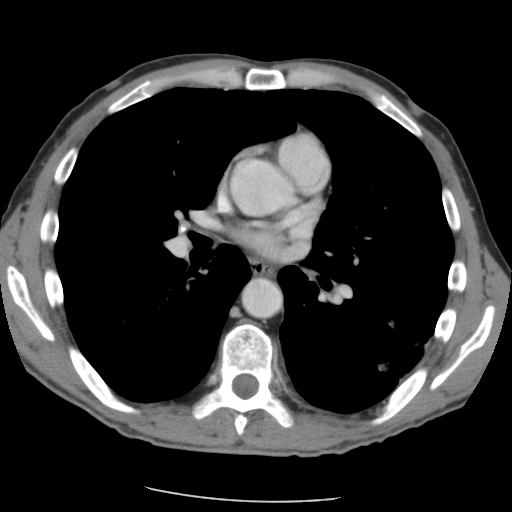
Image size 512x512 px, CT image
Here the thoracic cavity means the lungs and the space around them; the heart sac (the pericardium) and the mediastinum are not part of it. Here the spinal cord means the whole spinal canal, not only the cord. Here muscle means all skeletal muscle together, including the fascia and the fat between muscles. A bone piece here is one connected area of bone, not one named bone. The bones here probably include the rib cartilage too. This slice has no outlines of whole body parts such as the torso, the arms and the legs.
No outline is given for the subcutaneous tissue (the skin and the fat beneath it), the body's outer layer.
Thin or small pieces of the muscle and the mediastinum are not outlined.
The bones appear in 13 outlined pieces: piece 1: (243, 323) (257, 325) (273, 342) (288, 389) (287, 393) (280, 387) (273, 389) (291, 412) (290, 427) (283, 427) (261, 408) (245, 413) (241, 435) (234, 424) (237, 412) (230, 407) (219, 407) (200, 419) (192, 414) (194, 403) (210, 389) (204, 383) (219, 361) (222, 337); inner edge: (240, 374) (249, 374) (253, 376) (257, 380) (258, 382) (258, 387) (257, 388) (257, 390) (256, 392) (254, 393) (251, 396) (247, 398) (242, 398) (240, 397) (233, 391) (233, 389) (232, 388) (232, 383) (233, 382) (233, 380) (238, 375); piece 2: (214, 67) (225, 69) (234, 67) (242, 72) (252, 67) (276, 68) (283, 72) (290, 69) (311, 68) (333, 73) (347, 83) (336, 83) (324, 87) (249, 90) (244, 88) (225, 89) (222, 87) (202, 86) (191, 82) (181, 82) (108, 114) (107, 109) (113, 102) (145, 80); piece 3: (70, 345) (77, 347) (87, 361) (109, 387) (118, 396) (119, 396) (122, 400) (128, 404) (130, 404) (134, 407) (139, 409) (139, 412) (138, 413) (127, 413) (126, 412) (123, 412) (122, 411) (119, 411) (113, 409) (103, 404) (87, 387) (75, 370) (68, 353) (68, 347); piece 4: (419, 367) (426, 367) (428, 370) (428, 372) (425, 381) (418, 392) (408, 402) (408, 403) (407, 403) (393, 416) (380, 424) (377, 424) (376, 425) (372, 425) (370, 424) (369, 421) (374, 417) (377, 416) (381, 412) (380, 407) (383, 404) (382, 401) (384, 400) (399, 384); piece 5: (9, 265) (14, 266) (24, 276) (31, 301) (34, 307) (38, 312) (39, 315) (51, 330) (54, 336) (54, 340) (53, 341) (50, 341) (44, 338) (27, 314) (21, 307) (14, 302) (12, 295) (8, 288) (8, 285) (7, 284) (6, 269) (7, 268) (7, 266); piece 6: (488, 305) (494, 306) (495, 312) (494, 313) (493, 321) (489, 334) (484, 343) (480, 347) (478, 347) (471, 351) (440, 385) (435, 389) (431, 390) (430, 389) (430, 385) (433, 379) (440, 372) (447, 368) (456, 359) (459, 353) (460, 346) (474, 332) (482, 318) (485, 308); piece 7: (360, 86) (367, 86) (374, 89) (376, 91) (380, 93) (384, 94) (388, 98) (389, 98) (396, 106) (397, 106) (414, 122) (416, 123) (416, 124) (421, 130) (423, 136) (420, 139) (418, 138) (398, 122) (378, 109) (366, 98) (366, 96) (364, 92) (360, 88); piece 8: (46, 268) (55, 268) (57, 270) (57, 272) (58, 273) (58, 275) (61, 282) (62, 291) (63, 292) (63, 305) (60, 307) (59, 306) (56, 306) (52, 308) (49, 304) (49, 302) (47, 298) (47, 295) (46, 294) (46, 291) (45, 290) (45, 285) (44, 284) (44, 272); piece 9: (446, 306) (450, 306) (451, 307) (453, 307) (456, 310) (456, 319) (455, 320) (455, 324) (454, 325) (453, 330) (451, 333) (451, 335) (449, 339) (445, 343) (444, 343) (440, 340) (433, 338) (433, 334) (434, 333) (434, 330) (436, 326) (437, 320) (442, 310) (444, 307); piece 10: (442, 186) (446, 186) (451, 191) (453, 195) (457, 209) (458, 210) (459, 219) (460, 220) (460, 228) (455, 232) (452, 232) (447, 222) (447, 219) (446, 218) (446, 215) (445, 214) (445, 211) (443, 206) (443, 202) (442, 201) (442, 196) (441, 195) (441, 189) (442, 188); piece 11: (48, 209) (55, 209) (57, 210) (57, 212) (58, 213) (58, 231) (57, 232) (57, 237) (56, 238) (56, 241) (54, 244) (51, 244) (49, 242) (43, 242) (41, 240) (41, 238) (40, 237) (40, 227) (41, 226) (41, 222) (42, 221) (42, 219) (45, 212); piece 12: (454, 258) (462, 260) (464, 262) (465, 264) (465, 267) (466, 268) (466, 282) (465, 283) (465, 286) (464, 287) (464, 289) (461, 292) (459, 292) (458, 291) (449, 291) (447, 288) (447, 282) (448, 281) (448, 274) (449, 273) (449, 269) (450, 268) (450, 265); piece 13: (73, 146) (75, 146) (79, 149) (77, 157) (75, 160) (74, 165) (70, 172) (70, 174) (67, 178) (66, 181) (64, 183) (64, 184) (62, 185) (59, 185) (54, 181) (54, 174) (55, 173) (56, 168) (58, 164) (60, 162) (61, 159) (64, 156) (67, 151). The spinal cord is outlined by (240, 374) (249, 374) (253, 376) (257, 380) (258, 382) (258, 387) (257, 388) (257, 390) (256, 392) (254, 393) (251, 396) (247, 398) (242, 398) (240, 397) (233, 391) (233, 389) (232, 388) (232, 383) (233, 382) (233, 380) (238, 375). The pericardium is outlined by (298, 127) (313, 132) (323, 144) (331, 164) (329, 191) (326, 196) (325, 207) (315, 226) (311, 243) (305, 254) (294, 262) (276, 265) (255, 257) (232, 241) (227, 235) (219, 231) (214, 221) (212, 205) (224, 173) (232, 160) (242, 150) (256, 144) (276, 140) (291, 134). The mediastinum is outlined by (216, 190) (211, 205) (216, 229) (255, 258) (276, 266) (291, 264) (306, 254) (312, 241) (301, 268) (288, 265) (277, 274) (284, 296) (278, 343) (251, 322) (237, 324) (221, 337) (229, 310) (250, 280) (251, 271) (237, 247) (216, 244) (198, 230) (206, 223) (204, 210). The thoracic cavity is outlined by (176, 86) (351, 93) (430, 154) (454, 248) (445, 304) (380, 402) (314, 407) (276, 360) (278, 274) (302, 268) (332, 193) (326, 146) (297, 120) (236, 153) (203, 210) (197, 230) (250, 271) (205, 378) (176, 398) (132, 401) (78, 347) (56, 263) (64, 185) (108, 115). The muscle is outlined by (211, 58) (240, 59) (263, 67) (269, 67) (278, 63) (284, 63) (290, 61) (308, 61) (330, 64) (347, 69) (385, 88) (410, 112) (411, 115) (420, 124) (436, 136) (445, 146) (450, 154) (454, 168) (460, 180) (462, 188) (469, 200) (469, 203) (474, 208) (472, 215) (477, 228) (479, 240) (482, 244) (486, 246) (488, 251) (499, 264) (506, 275) (511, 279) (508, 288) (509, 289) (505, 313) (497, 341) (489, 361) (472, 392) (458, 399) (451, 401) (442, 407) (422, 417) (415, 419) (413, 421) (404, 423) (387, 432) (365, 439) (344, 442) (338, 445) (334, 445) (322, 449) (271, 450) (270, 449) (250, 449) (245, 447) (219, 448) (169, 441) (146, 435) (134, 430) (129, 430) (124, 427) (123, 425) (105, 417) (83, 400) (60, 386) (39, 371) (26, 358) (20, 350) (18, 352) (17, 351) (8, 325) (0, 285) (0, 229) (5, 224) (17, 205) (21, 202) (24, 202) (31, 195) (35, 181) (39, 172) (43, 167) (43, 163) (48, 159) (48, 157) (54, 150) (55, 145) (63, 139) (67, 129) (81, 115) (88, 111) (100, 100) (115, 90) (135, 78) (148, 72) (191, 61) with holes at (214, 67) (311, 68) (347, 82) (326, 89) (365, 99) (360, 86) (384, 94) (419, 127) (441, 185) (453, 195) (460, 220) (452, 233) (453, 257) (466, 268) (464, 289) (448, 290) (444, 305) (456, 310) (455, 324) (445, 343) (429, 338) (411, 371) (427, 368) (423, 385) (380, 424) (369, 421) (381, 412) (381, 401) (337, 413) (274, 387) (293, 424) (283, 427) (265, 410) (252, 409) (239, 435) (230, 407) (193, 416) (192, 406) (210, 389) (205, 378) (168, 400) (120, 395) (139, 409) (127, 413) (103, 404) (72, 364) (68, 347) (78, 345) (65, 306) (50, 306) (44, 284) (46, 268) (57, 268) (55, 245) (40, 237) (45, 212) (60, 205) (64, 185) (54, 181) (56, 168) (71, 147) (82, 147) (108, 107) (137, 85) and at (9, 265) (14, 266) (24, 276) (31, 301) (34, 307) (38, 312) (39, 315) (51, 330) (54, 336) (54, 340) (53, 341) (50, 341) (44, 338) (27, 314) (21, 307) (14, 302) (12, 295) (8, 288) (8, 285) (7, 284) (6, 269) (7, 268) (7, 266) and at (488, 305) (494, 306) (495, 312) (494, 313) (493, 321) (489, 334) (484, 343) (480, 347) (478, 347) (471, 351) (440, 385) (435, 389) (431, 390) (430, 389) (430, 385) (433, 379) (440, 372) (447, 368) (456, 359) (459, 353) (460, 346) (474, 332) (482, 318) (485, 308).